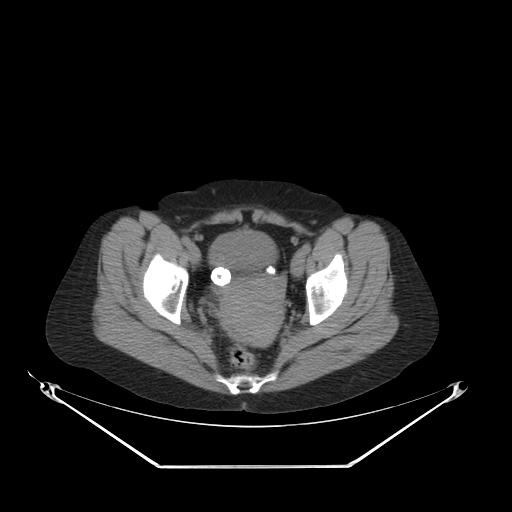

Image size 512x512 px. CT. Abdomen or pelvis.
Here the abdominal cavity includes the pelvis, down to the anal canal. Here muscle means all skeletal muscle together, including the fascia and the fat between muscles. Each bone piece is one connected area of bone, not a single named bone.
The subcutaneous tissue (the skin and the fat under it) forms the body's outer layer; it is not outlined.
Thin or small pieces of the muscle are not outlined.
The abdominal cavity is outlined by 249,212 256,223 292,228 314,237 314,241 305,262 306,302 300,325 280,339 269,371 262,375 245,372 228,375 222,371 212,335 193,323 188,311 190,260 184,244 189,238 187,234 202,225 241,221 244,213. The bones appear in 3 outlined pieces: piece 1: 156,253 159,253 165,260 176,263 180,266 184,267 188,272 189,278 181,305 181,311 180,312 181,322 180,324 176,324 167,318 160,315 146,300 143,295 143,288 142,287 143,275 148,267 151,259 154,254; piece 2: 337,252 339,252 342,255 342,258 344,263 344,271 347,277 347,292 344,296 341,304 333,313 319,323 315,325 310,325 309,323 309,311 306,301 306,291 305,290 306,278 310,274 325,267 330,262 334,255; piece 3: 274,371 278,371 276,379 272,381 265,382 255,393 249,393 243,391 238,394 232,394 224,383 217,381 215,379 215,374 217,373 224,377 228,377 232,374 237,373 257,374 260,376 263,376 267,373. The muscle is outlined by 241,205 274,210 312,230 347,215 356,225 363,220 377,223 389,243 392,309 399,318 391,340 365,359 307,383 256,393 265,383 277,379 279,371 270,368 280,351 280,341 301,325 306,303 309,325 319,324 342,304 348,292 348,277 339,251 307,276 306,262 315,237 292,227 256,222 249,211 241,220 202,224 188,232 183,244 189,260 187,269 154,253 141,281 145,300 176,325 182,322 186,295 191,322 211,335 221,371 228,376 217,372 214,379 231,394 197,387 97,339 92,310 97,294 98,253 103,235 114,222 121,216 137,218 144,210 185,226. The torso is outlined by 221,178 298,183 332,197 350,212 377,213 394,222 404,235 438,309 439,332 428,353 394,379 352,399 275,414 184,409 157,403 88,369 60,360 45,338 46,314 90,223 112,208 135,203 149,207 166,194.